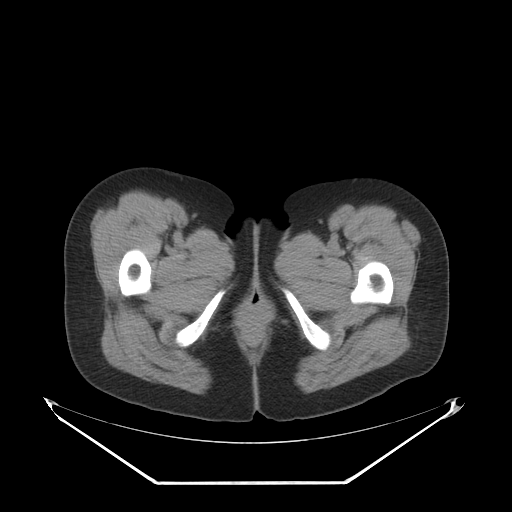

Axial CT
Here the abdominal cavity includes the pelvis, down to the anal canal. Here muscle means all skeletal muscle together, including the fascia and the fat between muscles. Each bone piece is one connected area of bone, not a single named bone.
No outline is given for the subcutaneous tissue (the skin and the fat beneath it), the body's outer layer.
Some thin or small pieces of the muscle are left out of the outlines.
{"bones":[[[373,260],[376,260],[377,261],[381,261],[383,262],[388,267],[391,273],[392,279],[393,280],[393,293],[392,294],[391,301],[388,304],[376,304],[375,303],[352,303],[350,300],[350,292],[356,285],[358,271],[359,269],[366,263],[369,261],[372,261]],[[135,248],[136,249],[141,250],[144,253],[150,264],[150,266],[151,267],[151,275],[150,276],[151,288],[147,293],[131,295],[130,296],[125,296],[121,293],[121,291],[118,284],[118,269],[119,268],[119,264],[125,252],[130,249],[134,249]],[[282,287],[284,287],[291,291],[299,301],[300,304],[308,316],[315,323],[319,325],[324,330],[327,331],[330,334],[331,341],[328,347],[325,350],[317,349],[308,341],[302,330],[302,328],[300,325],[299,320],[296,314],[281,290]],[[220,289],[224,289],[225,290],[225,293],[220,300],[217,307],[213,312],[211,317],[207,323],[207,325],[205,327],[202,333],[199,337],[190,345],[186,347],[179,346],[175,341],[176,333],[180,329],[183,328],[192,322],[202,312],[208,302]]],"abdominal_cavity":[[[253,290],[257,290],[268,302],[268,304],[270,307],[270,311],[271,312],[271,322],[267,330],[265,340],[263,342],[263,344],[259,348],[255,350],[252,350],[251,349],[248,350],[248,348],[244,344],[238,333],[238,316],[242,307],[246,302],[247,297]]],"torso":[[[134,166],[224,190],[235,206],[229,235],[246,215],[270,215],[285,227],[283,200],[309,184],[371,176],[404,187],[431,211],[448,251],[449,320],[438,362],[359,405],[290,421],[258,412],[248,422],[209,421],[96,389],[67,345],[64,239],[85,193]]],"muscle":[{"outer":[[135,188],[175,198],[196,221],[215,231],[231,246],[236,261],[235,283],[215,320],[217,330],[210,331],[197,349],[197,355],[213,375],[212,386],[204,395],[152,383],[118,370],[107,362],[101,351],[104,297],[94,272],[88,227],[99,207],[121,193]],"holes":[[[135,248],[136,249],[141,250],[144,253],[150,264],[150,266],[151,267],[151,275],[150,276],[151,288],[147,293],[131,295],[130,296],[125,296],[121,293],[121,291],[118,284],[118,269],[119,268],[119,264],[125,252],[130,249],[134,249]],[[220,289],[224,289],[225,290],[225,293],[220,300],[217,307],[213,312],[211,317],[207,323],[207,325],[205,327],[202,333],[199,337],[190,345],[186,347],[179,346],[175,341],[176,333],[180,329],[183,328],[192,322],[202,312],[208,302]]]},{"outer":[[345,202],[387,205],[408,218],[420,233],[420,259],[408,301],[408,331],[412,344],[408,351],[385,366],[335,387],[304,394],[293,385],[292,378],[297,361],[305,354],[306,344],[300,338],[297,327],[269,272],[282,242],[302,231],[324,227],[329,213]],"holes":[[[373,260],[376,260],[377,261],[381,261],[383,262],[388,267],[391,273],[392,279],[393,280],[393,293],[392,294],[391,301],[388,304],[376,304],[375,303],[352,303],[350,300],[350,292],[356,285],[358,271],[359,269],[366,263],[369,261],[372,261]],[[282,287],[284,287],[291,291],[299,301],[300,304],[308,316],[315,323],[319,325],[324,330],[327,331],[330,334],[331,341],[328,347],[325,350],[317,349],[308,341],[302,330],[302,328],[300,325],[299,320],[296,314],[281,290]]]},{"outer":[[256,285],[265,291],[274,303],[277,309],[277,315],[279,317],[279,319],[277,321],[275,330],[272,335],[269,346],[263,360],[260,364],[254,364],[253,363],[250,364],[248,359],[242,353],[230,328],[228,326],[232,320],[232,310],[238,300],[253,286]],"hole":[[253,290],[257,290],[268,302],[268,304],[270,307],[270,311],[271,312],[271,322],[267,330],[265,340],[263,342],[263,344],[259,348],[255,350],[252,350],[251,349],[248,350],[248,348],[244,344],[238,333],[238,316],[242,307],[246,302],[247,297]]}]}